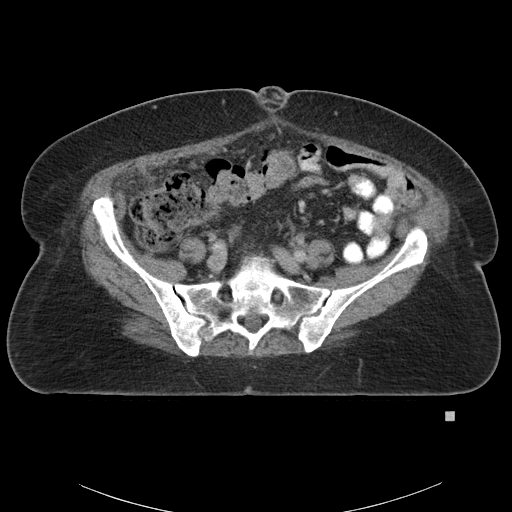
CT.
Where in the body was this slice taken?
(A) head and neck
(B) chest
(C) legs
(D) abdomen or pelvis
Answer: (D) abdomen or pelvis
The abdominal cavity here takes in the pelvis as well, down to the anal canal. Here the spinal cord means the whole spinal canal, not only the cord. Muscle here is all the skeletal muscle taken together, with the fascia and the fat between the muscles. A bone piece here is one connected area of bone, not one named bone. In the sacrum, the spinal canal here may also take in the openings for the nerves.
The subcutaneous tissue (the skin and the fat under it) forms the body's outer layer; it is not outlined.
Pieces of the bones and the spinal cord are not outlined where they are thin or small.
Outlined structures:
spinal cord 1: 251,314 265,314 268,317 268,319 267,320 267,321 261,327 260,327 256,331 255,331 254,332 252,332 251,331 248,330 244,326 244,325 243,324 240,324 238,322 238,317 239,316 241,316 242,315 250,315
spinal cord 2: 223,285 227,285 229,287 229,288 230,289 230,291 231,292 231,294 232,295 232,299 230,301 225,301 224,300 222,300 217,295 217,294 218,293 218,292 221,289 221,287
torso: 269,85 375,102 428,128 470,165 489,197 499,237 494,257 482,267 501,334 492,376 473,391 451,395 44,394 21,383 7,357 6,329 19,286 39,250 20,211 24,178 39,153 86,123 147,100
abdominal cavity: 274,125 387,160 421,189 424,205 395,227 399,243 384,257 336,266 312,285 278,272 273,258 253,254 225,280 186,283 184,264 206,256 199,237 184,237 177,258 134,245 124,230 126,195 114,185 118,175; inner edge: 315,239 324,239 327,240 332,244 333,247 335,249 334,252 335,255 333,261 330,265 325,268 310,268 307,265 307,255 308,254 307,253 307,249 308,248 308,245 310,242
bones: 106,195 128,251 173,285 225,281 244,257 260,255 287,278 332,290 375,275 416,225 427,249 421,263 347,305 312,352 297,322 271,328 251,351 244,336 225,330 203,339 193,357 144,280 100,235 91,208; inner edges: 251,314 265,314 268,317 268,319 267,320 267,321 261,327 260,327 256,331 255,331 254,332 252,332 251,331 248,330 244,326 244,325 243,324 240,324 238,322 238,317 239,316 241,316 242,315 250,315, then 223,285 227,285 229,287 229,288 230,289 230,291 231,292 231,294 232,295 232,299 230,301 225,301 224,300 222,300 217,295 217,294 218,293 218,292 221,289 221,287, then 275,288 276,288 277,289 279,289 281,291 281,292 282,293 282,300 281,301 281,302 280,303 277,303 276,302 275,302 272,299 272,292 273,291 273,290
muscle 1: 272,115 310,130 317,128 320,132 352,140 415,168 444,191 451,205 451,228 447,242 431,256 431,261 411,292 384,312 364,321 361,332 349,345 330,351 314,351 322,345 342,312 356,298 391,275 424,261 428,236 416,224 408,230 392,258 369,278 332,289 314,284 322,276 333,276 336,267 379,262 400,243 395,236 396,227 422,208 427,200 411,176 403,168 382,157 326,143 274,124 205,152 130,165 114,178 113,185 125,195 123,230 133,245 140,252 151,253 156,258 177,259 182,240 197,237 205,244 206,250 200,262 183,264 187,274 185,283 173,284 158,278 140,265 125,245 113,198 106,194 93,200 90,211 99,235 113,254 143,280 160,307 176,345 192,357 185,361 178,355 136,343 122,335 120,323 116,319 121,312 118,302 86,273 82,262 79,229 83,217 78,212 78,198 86,182 93,174 116,162 230,134
muscle 2: 297,323 297,338 302,344 304,353 302,354 283,354 259,358 249,356 243,358 198,356 200,354 203,340 207,342 211,341 225,331 228,330 244,337 247,340 248,351 251,352 257,346 261,338 271,329 290,330
muscle 3: 315,239 324,239 327,240 332,244 333,247 335,249 334,252 335,255 333,261 330,265 325,268 310,268 307,265 307,255 308,254 307,253 307,249 308,248 308,245 310,242